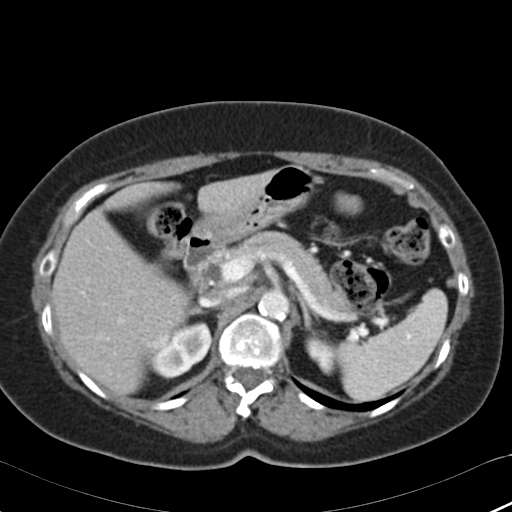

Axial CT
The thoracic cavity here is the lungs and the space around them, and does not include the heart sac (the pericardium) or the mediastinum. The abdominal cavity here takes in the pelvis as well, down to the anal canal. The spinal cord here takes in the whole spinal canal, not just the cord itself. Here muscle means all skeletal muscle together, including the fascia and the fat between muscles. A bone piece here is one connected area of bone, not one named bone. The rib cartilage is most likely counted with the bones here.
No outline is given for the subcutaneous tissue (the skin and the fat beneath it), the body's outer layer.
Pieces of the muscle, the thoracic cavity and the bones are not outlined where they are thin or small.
{"muscle":[{"outer":[[249,150],[265,150],[266,151],[284,150],[285,151],[325,152],[326,153],[343,154],[362,158],[369,158],[392,165],[409,173],[416,178],[444,208],[456,227],[463,243],[466,254],[466,260],[469,266],[474,286],[475,294],[470,304],[469,318],[463,324],[463,326],[459,331],[458,343],[455,348],[453,363],[446,375],[428,393],[394,415],[368,426],[350,430],[347,432],[337,434],[318,441],[309,442],[308,441],[291,440],[286,437],[279,436],[271,433],[253,423],[250,423],[249,425],[245,426],[243,429],[241,429],[238,425],[236,426],[223,440],[213,443],[193,443],[163,433],[143,424],[137,424],[128,418],[115,414],[111,411],[106,410],[98,406],[86,396],[77,390],[68,386],[61,379],[54,367],[48,355],[47,348],[42,341],[36,324],[36,314],[33,310],[30,292],[33,282],[32,263],[46,238],[50,226],[56,217],[59,208],[65,203],[68,198],[77,189],[84,184],[99,177],[120,171],[126,168],[141,165],[154,160],[176,157],[182,155],[196,154],[199,152],[210,153],[211,152],[248,151]],"hole":[[250,155],[379,181],[368,170],[384,168],[414,185],[401,189],[417,198],[437,232],[441,224],[452,230],[455,244],[445,249],[455,276],[466,275],[468,291],[457,293],[445,333],[449,351],[437,368],[432,365],[410,383],[386,412],[369,417],[369,410],[311,408],[299,399],[301,389],[285,370],[281,355],[273,367],[273,390],[260,394],[245,418],[236,412],[241,397],[225,387],[229,368],[219,353],[213,372],[186,391],[188,398],[178,407],[153,409],[154,401],[107,391],[105,399],[79,377],[54,321],[51,335],[44,330],[41,314],[50,302],[51,276],[40,275],[39,266],[48,251],[59,256],[73,225],[64,225],[65,213],[85,191],[110,184],[81,214],[125,184]]}],"torso":[[[214,100],[296,101],[357,111],[407,131],[443,161],[493,236],[504,284],[499,369],[467,421],[419,446],[352,465],[284,467],[246,456],[217,469],[179,470],[68,444],[37,427],[6,397],[0,389],[0,235],[13,212],[58,160],[93,134],[142,114]]],"bones":[{"outer":[[247,312],[260,315],[277,325],[282,340],[283,351],[273,367],[272,375],[275,380],[273,390],[260,394],[249,405],[250,414],[245,418],[236,412],[241,397],[236,392],[232,392],[225,387],[224,377],[229,368],[220,357],[218,344],[224,329],[238,316]],"hole":[[238,366],[240,367],[251,367],[253,369],[259,369],[260,368],[263,368],[266,371],[268,376],[264,380],[260,382],[254,387],[250,389],[247,389],[238,380],[237,380],[234,376],[234,371],[236,367]]},[[103,182],[108,182],[110,183],[109,186],[103,192],[95,196],[92,199],[89,200],[86,205],[81,210],[80,214],[77,219],[72,224],[66,227],[63,223],[63,219],[64,218],[66,211],[72,204],[72,203],[85,191],[88,190],[93,186]],[[381,167],[393,173],[395,175],[411,182],[414,185],[414,187],[412,189],[406,189],[393,181],[391,181],[390,180],[386,180],[385,179],[381,179],[378,177],[376,177],[374,176],[371,173],[370,173],[368,171],[368,170],[370,168],[380,168]],[[52,249],[53,250],[54,250],[54,251],[55,252],[55,254],[57,256],[57,261],[55,264],[55,267],[54,268],[52,273],[50,275],[49,275],[48,276],[42,276],[39,274],[39,266],[40,265],[40,263],[41,262],[43,257],[47,253],[47,252]],[[441,224],[446,224],[452,230],[452,231],[454,234],[454,236],[455,237],[455,244],[454,245],[454,246],[451,248],[446,248],[442,244],[442,243],[440,241],[440,240],[438,237],[438,230],[439,229],[439,227]],[[183,395],[184,396],[186,396],[188,398],[187,400],[182,405],[178,407],[175,407],[171,409],[166,409],[165,410],[160,410],[159,409],[153,409],[151,407],[151,405],[155,402],[160,402],[161,401],[165,401],[169,399],[172,399],[173,398],[177,398]],[[77,370],[80,370],[82,372],[83,372],[84,374],[85,374],[89,378],[90,378],[106,394],[107,396],[107,398],[106,399],[104,398],[102,398],[100,396],[94,393],[81,380],[81,379],[79,377],[77,373]],[[47,303],[49,303],[49,305],[50,306],[50,310],[51,311],[51,322],[52,323],[52,334],[51,335],[49,335],[44,330],[44,328],[43,327],[43,325],[42,324],[42,322],[41,321],[41,314],[42,313],[42,310],[43,309],[44,306]],[[399,396],[400,397],[400,399],[399,401],[391,409],[388,410],[384,413],[382,413],[374,417],[369,417],[368,416],[368,413],[371,410],[375,408],[377,408],[381,406],[383,404],[390,401],[392,399],[394,398],[396,398]],[[448,337],[450,339],[450,347],[449,348],[449,351],[447,354],[447,356],[444,360],[444,361],[442,362],[440,364],[440,365],[437,368],[435,369],[434,368],[434,364],[439,354],[439,352],[442,346],[442,344],[444,340]],[[299,390],[301,390],[308,396],[309,396],[314,400],[317,401],[319,403],[320,403],[321,404],[326,406],[326,407],[323,409],[315,409],[314,408],[311,408],[309,406],[308,406],[305,403],[302,402],[299,399],[299,398],[298,397],[298,392],[299,391]]],"spinal_cord":[[[238,366],[240,367],[251,367],[253,369],[259,369],[260,368],[263,368],[266,371],[268,376],[264,380],[260,382],[254,387],[250,389],[247,389],[238,380],[237,380],[234,376],[234,371],[236,367]]],"abdominal_cavity":[[[250,155],[383,180],[413,195],[428,213],[458,292],[433,365],[405,389],[373,401],[348,403],[308,387],[285,370],[278,325],[250,311],[223,329],[218,360],[209,377],[165,400],[104,391],[64,349],[52,320],[51,275],[84,210],[128,183]]],"thoracic_cavity":[[[294,380],[297,380],[308,388],[315,390],[317,392],[332,398],[334,400],[348,404],[361,404],[366,402],[373,402],[389,397],[402,390],[403,391],[398,396],[394,397],[381,405],[370,410],[347,410],[330,407],[319,402],[304,392],[295,383]]]}